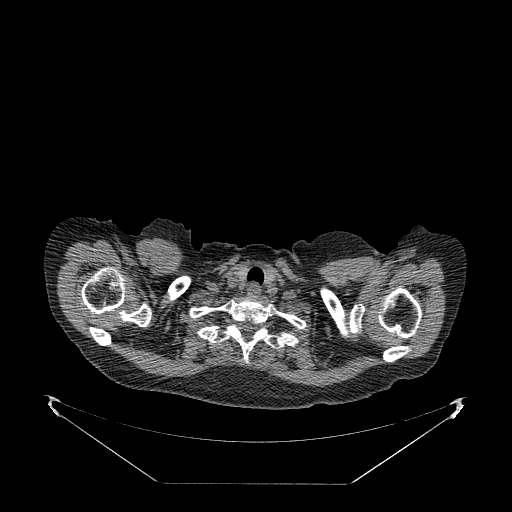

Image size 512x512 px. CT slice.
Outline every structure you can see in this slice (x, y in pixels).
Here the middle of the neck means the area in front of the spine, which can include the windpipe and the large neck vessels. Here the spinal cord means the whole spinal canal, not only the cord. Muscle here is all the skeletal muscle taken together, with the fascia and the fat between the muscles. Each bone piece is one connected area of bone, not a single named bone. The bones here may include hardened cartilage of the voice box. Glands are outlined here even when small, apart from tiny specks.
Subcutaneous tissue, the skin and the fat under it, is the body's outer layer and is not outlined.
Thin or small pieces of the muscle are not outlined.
{"spinal_cord":[[[248,320],[250,321],[253,324],[255,325],[257,325],[258,327],[257,329],[253,333],[251,337],[249,339],[246,339],[243,336],[240,330],[240,328],[238,324],[241,322],[244,322]]],"bones":[{"outer":[[243,297],[303,319],[307,326],[299,329],[283,318],[272,318],[281,330],[303,337],[295,346],[277,349],[260,340],[250,351],[248,364],[234,339],[209,343],[199,337],[200,327],[217,324],[227,314],[213,311],[193,318],[191,306],[217,307]],"hole":[[248,320],[250,321],[253,324],[255,325],[257,325],[258,327],[257,329],[253,333],[251,337],[249,339],[246,339],[243,336],[240,330],[240,328],[238,324],[241,322],[244,322]]},[[396,287],[404,287],[406,288],[408,290],[409,293],[418,301],[422,311],[421,319],[419,323],[419,326],[416,330],[416,332],[413,335],[406,339],[397,337],[395,334],[387,331],[384,329],[378,322],[377,309],[379,307],[381,300],[385,295],[389,293]],[[103,266],[112,266],[116,268],[123,275],[125,278],[125,281],[124,282],[125,283],[125,296],[123,303],[118,308],[110,312],[107,311],[103,313],[97,314],[96,313],[92,313],[86,307],[83,303],[80,292],[81,291],[81,287],[84,282],[95,271]],[[322,286],[327,287],[335,294],[339,300],[344,310],[345,314],[347,316],[349,314],[353,306],[356,303],[360,303],[365,307],[365,310],[361,318],[362,332],[359,335],[354,338],[346,338],[345,337],[343,337],[341,335],[323,299],[321,297],[319,290]],[[142,302],[146,303],[151,308],[151,318],[150,319],[150,321],[148,325],[146,327],[144,328],[143,327],[140,327],[133,322],[129,322],[128,321],[122,321],[117,317],[118,311],[119,311],[121,309],[124,309],[129,313],[130,312],[135,311],[141,305]],[[394,344],[409,344],[412,346],[411,351],[408,352],[405,355],[404,355],[402,357],[401,357],[399,359],[396,360],[392,363],[387,363],[386,362],[384,362],[382,359],[382,354],[383,353],[383,351],[391,345],[393,345]],[[183,274],[187,274],[188,275],[189,275],[191,277],[191,282],[186,288],[186,289],[181,294],[180,294],[175,299],[174,299],[172,301],[171,301],[168,297],[168,295],[167,294],[167,289],[170,285],[170,284],[178,276],[180,276]],[[90,325],[92,326],[95,326],[96,327],[99,327],[100,328],[102,328],[108,331],[111,335],[111,339],[112,340],[111,342],[111,345],[109,346],[100,346],[94,340],[90,332],[88,330],[88,326]]],"muscle":[{"outer":[[114,234],[128,244],[144,238],[166,238],[184,249],[192,260],[223,260],[242,252],[262,260],[285,257],[295,266],[313,271],[329,259],[362,255],[385,259],[406,246],[418,245],[439,251],[447,263],[442,326],[424,355],[376,366],[354,378],[323,387],[289,383],[265,372],[237,366],[180,377],[148,373],[105,347],[113,341],[108,330],[87,326],[97,344],[76,330],[64,315],[56,293],[57,267],[64,247],[74,240]],"holes":[[[251,264],[273,268],[282,282],[271,297],[248,297],[292,313],[307,326],[299,329],[274,316],[278,328],[303,337],[295,346],[277,349],[260,340],[244,364],[234,339],[209,343],[196,334],[227,314],[193,318],[189,308],[245,297],[228,287],[226,277]],[[396,287],[404,287],[406,288],[408,290],[409,293],[418,301],[422,311],[421,319],[419,323],[419,326],[416,330],[416,332],[413,335],[406,339],[397,337],[395,334],[387,331],[384,329],[378,322],[377,309],[379,307],[381,300],[385,295],[389,293]],[[103,266],[112,266],[116,268],[123,275],[125,278],[125,281],[124,282],[125,283],[125,296],[123,303],[118,308],[110,312],[107,311],[103,313],[97,314],[96,313],[92,313],[86,307],[83,303],[80,292],[81,291],[81,287],[84,282],[95,271]],[[322,286],[327,287],[335,294],[339,300],[344,310],[345,314],[347,316],[349,314],[353,306],[356,303],[360,303],[365,307],[365,310],[361,318],[362,332],[359,335],[354,338],[346,338],[345,337],[343,337],[341,335],[323,299],[321,297],[319,290]],[[142,302],[146,303],[151,308],[151,318],[150,319],[150,321],[148,325],[146,327],[144,328],[143,327],[140,327],[133,322],[129,322],[128,321],[122,321],[117,317],[118,311],[119,311],[121,309],[124,309],[129,313],[130,312],[135,311],[141,305]],[[394,344],[409,344],[412,346],[411,351],[408,352],[405,355],[404,355],[402,357],[401,357],[399,359],[396,360],[392,363],[387,363],[386,362],[384,362],[382,359],[382,354],[383,353],[383,351],[391,345],[393,345]],[[183,274],[187,274],[188,275],[189,275],[191,277],[191,282],[186,288],[186,289],[181,294],[180,294],[175,299],[174,299],[172,301],[171,301],[168,297],[168,295],[167,294],[167,289],[170,285],[170,284],[178,276],[180,276]]]}],"right_arm":[[[72,216],[94,217],[100,220],[111,219],[125,233],[137,234],[139,247],[138,296],[133,309],[127,317],[114,328],[112,328],[104,334],[92,339],[78,348],[67,337],[51,313],[47,299],[44,279],[44,271],[43,270],[44,249],[50,232],[60,221]]],"left_arm":[[[415,224],[420,224],[433,232],[446,233],[456,237],[464,247],[467,269],[465,288],[457,315],[436,363],[426,373],[415,378],[407,379],[397,367],[370,322],[361,296],[361,286],[376,251],[378,250],[382,253],[389,252],[396,246],[398,239],[408,232]]],"torso":[[[155,218],[182,223],[191,230],[191,243],[197,249],[219,240],[289,250],[299,239],[310,241],[334,230],[362,237],[376,249],[360,286],[364,310],[406,379],[347,403],[262,409],[134,389],[107,378],[78,349],[114,329],[134,309],[140,282],[138,234]]],"middle_of_the_neck":[[[251,264],[259,264],[264,267],[264,284],[266,286],[271,285],[277,277],[281,278],[281,285],[279,286],[274,295],[271,297],[267,295],[251,297],[234,292],[228,287],[226,284],[226,277],[233,272],[239,286],[242,287],[245,283],[248,265]]],"thyroid_glands":[[[264,266],[269,266],[270,267],[271,267],[272,268],[273,268],[277,272],[277,276],[275,278],[275,279],[274,280],[274,281],[271,284],[270,284],[269,285],[266,285],[265,284],[265,272],[264,271],[264,269],[265,268],[265,267]],[[242,265],[245,265],[246,266],[247,266],[247,271],[246,272],[246,275],[245,276],[245,279],[244,280],[244,283],[242,286],[240,286],[240,284],[239,283],[239,282],[238,281],[236,276],[234,274],[234,272],[238,268],[238,267],[239,266],[241,266]]]}